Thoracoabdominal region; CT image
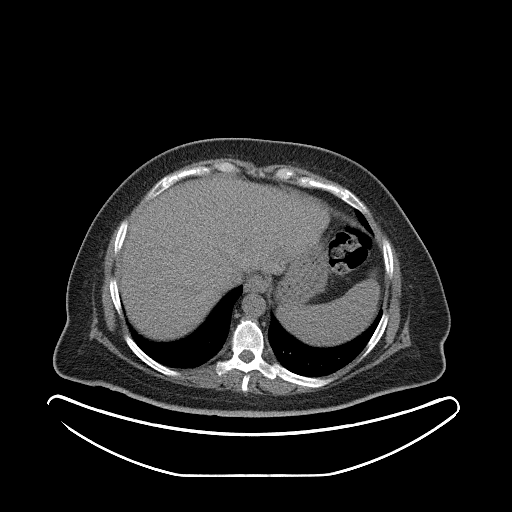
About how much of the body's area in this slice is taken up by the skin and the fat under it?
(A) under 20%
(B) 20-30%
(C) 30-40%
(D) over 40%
Answer: (C) 30-40%
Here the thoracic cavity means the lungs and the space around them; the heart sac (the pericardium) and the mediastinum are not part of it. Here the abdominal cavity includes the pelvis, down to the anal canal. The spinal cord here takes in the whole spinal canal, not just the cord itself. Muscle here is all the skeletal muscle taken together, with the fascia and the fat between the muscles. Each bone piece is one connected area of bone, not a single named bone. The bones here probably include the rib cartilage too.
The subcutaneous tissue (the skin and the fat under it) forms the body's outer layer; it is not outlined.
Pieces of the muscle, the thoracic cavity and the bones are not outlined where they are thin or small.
Outlined structures:
torso: 215 137; 261 138; 324 147; 357 161; 385 185; 429 252; 449 308; 450 329; 443 343; 445 369; 437 380; 332 411; 228 417; 162 408; 103 386; 63 378; 55 371; 52 358; 66 322; 68 278; 98 210; 115 188; 148 159; 186 142
abdominal cavity: 217 172; 246 173; 307 188; 356 217; 370 232; 373 230; 382 253; 385 291; 382 308; 364 331; 331 347; 303 343; 271 313; 261 277; 252 277; 228 291; 199 327; 181 339; 153 341; 126 322; 118 287; 118 264; 134 218; 174 183
mediastinum 1: 252 278; 261 278; 265 284; 265 293; 267 296; 267 302; 269 305; 269 311; 270 312; 268 327; 265 334; 257 322; 250 318; 241 317; 235 325; 232 328; 231 327; 231 316; 232 315; 233 307; 243 291; 243 284; 245 284; 248 280
mediastinum 2: 308 188; 319 189; 330 193; 353 208; 353 211; 356 216; 351 214; 351 213; 348 211; 336 207; 335 205; 332 203; 330 203; 327 199; 322 197; 321 195; 318 195; 317 193; 314 193; 312 191; 310 191
bones 1: 241 318; 256 322; 264 335; 265 346; 289 371; 306 377; 336 378; 325 385; 309 387; 278 376; 271 379; 254 369; 248 373; 247 390; 243 391; 244 373; 241 370; 233 368; 221 375; 215 370; 216 361; 229 356; 226 349; 232 331 with a hole at 245 350; 247 350; 248 351; 250 351; 253 354; 253 358; 251 360; 250 360; 248 362; 245 362; 243 360; 242 360; 239 357; 239 355; 243 351; 244 351
bones 2: 279 168; 291 169; 298 176; 310 177; 324 183; 333 184; 348 189; 363 203; 368 213; 365 214; 362 213; 340 198; 323 189; 314 187; 303 187; 297 185; 294 183; 295 180; 293 178; 287 181; 283 181; 274 178; 274 172
bones 3: 217 162; 229 162; 234 164; 238 168; 237 172; 223 172; 216 169; 213 169; 210 173; 207 174; 189 175; 174 182; 153 198; 149 200; 146 199; 146 197; 152 187; 164 176; 170 175; 180 170; 189 169; 198 166; 209 166; 211 167
bones 4: 125 334; 128 334; 130 335; 131 338; 135 342; 135 343; 149 357; 164 366; 166 366; 171 369; 179 371; 181 373; 180 375; 178 376; 166 375; 152 368; 146 363; 142 361; 135 354; 132 348; 127 342; 126 339; 124 337; 124 335
bones 5: 383 311; 385 311; 387 313; 387 315; 388 316; 388 318; 387 319; 387 323; 384 329; 384 331; 381 337; 374 346; 374 347; 362 359; 359 360; 359 358; 363 350; 365 348; 368 341; 372 336; 375 329; 379 323; 379 321; 381 318
bones 6: 383 237; 386 237; 388 239; 390 243; 390 246; 391 247; 392 257; 393 258; 393 273; 392 274; 392 277; 389 277; 387 275; 386 275; 386 272; 385 271; 385 267; 384 266; 384 260; 383 259; 383 253; 382 252; 382 239
bones 7: 123 219; 126 219; 127 220; 127 222; 128 223; 128 225; 127 226; 127 231; 126 232; 126 234; 125 235; 121 249; 118 253; 115 254; 114 252; 114 243; 115 242; 115 238; 116 237; 116 234; 117 233; 118 227; 121 221
bones 8: 113 277; 116 279; 116 282; 117 283; 118 293; 119 294; 119 299; 120 300; 121 309; 122 310; 122 315; 119 315; 117 312; 113 303; 113 301; 111 297; 111 294; 110 293; 110 290; 109 289; 109 282; 110 281; 110 279
thoracic cavity 1: 240 285; 242 286; 242 291; 232 307; 230 316; 230 327; 232 330; 228 346; 215 357; 198 366; 171 368; 164 365; 149 356; 131 336; 127 322; 140 336; 150 341; 158 343; 170 343; 181 340; 197 330; 206 320; 218 302; 228 292
thoracic cavity 2: 382 309; 382 313; 378 323; 364 348; 346 365; 325 376; 306 376; 289 370; 275 358; 271 348; 267 345; 266 346; 265 335; 269 327; 271 314; 274 316; 286 332; 303 344; 314 348; 331 348; 345 344; 359 336; 371 325; 378 312
thoracic cavity 3: 354 209; 359 211; 362 214; 363 214; 364 215; 364 216; 366 218; 367 221; 369 223; 369 224; 372 229; 372 231; 370 231; 368 229; 367 229; 367 228; 360 221; 360 220; 359 219; 358 219; 358 218; 357 217; 357 216; 354 211
muscle 1: 364 203; 379 219; 398 255; 401 322; 409 318; 411 345; 342 383; 290 395; 245 395; 186 386; 148 374; 95 339; 89 339; 98 258; 119 223; 113 243; 114 254; 119 253; 117 282; 111 277; 108 289; 116 312; 123 314; 129 330; 130 334; 123 337; 142 362; 166 376; 178 377; 182 373; 174 369; 198 367; 225 349; 228 356; 217 359; 214 370; 218 376; 233 369; 241 371; 243 392; 248 390; 249 373; 254 370; 271 380; 278 377; 303 387; 325 386; 337 378; 326 376; 346 366; 361 352; 358 360; 362 360; 378 343; 388 323; 383 304; 386 276; 392 278; 394 273; 393 252; 386 236; 380 247; 365 216; 369 211
muscle 2: 223 157; 232 157; 245 161; 251 161; 258 166; 276 163; 291 164; 317 173; 328 179; 335 181; 345 187; 333 183; 324 182; 310 176; 298 175; 293 169; 287 167; 277 168; 273 172; 273 178; 266 177; 265 174; 261 170; 257 174; 255 174; 253 171; 250 171; 248 173; 238 172; 239 168; 234 163; 229 161; 217 161; 211 166; 198 165; 189 168; 180 169; 170 174; 167 174; 196 161
muscle 3: 148 190; 149 190; 145 197; 145 199; 148 201; 145 205; 141 208; 135 217; 133 218; 133 220; 129 225; 129 227; 128 227; 129 225; 128 220; 126 218; 123 218; 123 217; 132 209; 132 208; 140 200; 140 199
spinal cord: 245 350; 247 350; 248 351; 250 351; 253 354; 253 358; 251 360; 250 360; 248 362; 245 362; 243 360; 242 360; 239 357; 239 355; 243 351; 244 351